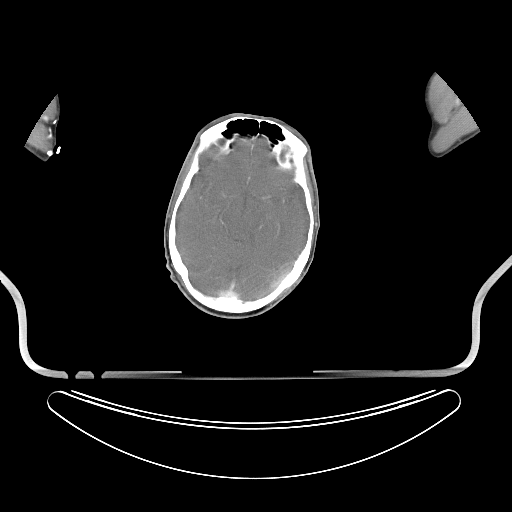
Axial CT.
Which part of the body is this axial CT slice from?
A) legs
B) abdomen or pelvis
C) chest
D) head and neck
D) head and neck
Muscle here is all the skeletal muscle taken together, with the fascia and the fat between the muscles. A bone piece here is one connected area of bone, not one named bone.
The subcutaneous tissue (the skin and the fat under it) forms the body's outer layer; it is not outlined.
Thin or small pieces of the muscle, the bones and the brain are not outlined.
{"brain":[[[238,140],[261,140],[269,148],[276,167],[292,171],[292,181],[303,192],[308,218],[305,242],[290,269],[270,291],[247,300],[231,291],[214,296],[198,289],[189,277],[176,240],[177,213],[193,177],[200,169],[201,154],[214,146],[217,156],[228,155]]],"left_arm":[[[434,71],[436,72],[437,75],[445,82],[455,95],[457,96],[480,130],[480,132],[477,135],[466,141],[446,155],[439,158],[431,156],[428,153],[426,148],[426,139],[430,128],[430,118],[424,107],[424,103],[423,102],[423,92],[426,81],[431,73]]],"bones":[{"outer":[[235,114],[250,114],[273,120],[283,125],[307,145],[309,149],[309,166],[306,176],[314,218],[310,253],[297,281],[271,302],[245,312],[216,310],[195,299],[185,288],[181,276],[174,269],[168,247],[168,227],[172,209],[189,170],[200,134],[210,126]],"holes":[[[238,140],[261,140],[269,148],[276,167],[292,171],[292,181],[303,192],[308,218],[305,242],[290,269],[270,291],[247,300],[231,291],[214,296],[198,289],[189,277],[176,240],[177,213],[193,177],[200,169],[201,154],[214,146],[217,156],[228,155]],[[237,120],[254,120],[257,123],[257,127],[259,129],[261,127],[262,122],[273,125],[279,128],[281,138],[273,139],[269,135],[260,130],[258,130],[253,134],[251,133],[241,133],[238,131],[233,131],[231,133],[226,133],[228,131],[229,124],[231,122]]]}],"right_arm":[[[57,94],[58,94],[60,100],[60,115],[57,122],[57,128],[56,129],[56,142],[57,143],[55,147],[53,148],[53,151],[51,152],[49,159],[44,162],[26,150],[24,148],[24,145],[28,140],[34,126],[36,125],[36,123],[40,119],[50,102]]],"head":[{"outer":[[234,112],[279,118],[297,129],[307,139],[311,147],[313,170],[319,193],[320,219],[313,260],[301,283],[273,308],[257,316],[241,319],[216,317],[192,305],[170,280],[163,246],[164,219],[170,195],[182,162],[196,132],[207,122],[221,115]],"hole":[[237,120],[254,120],[257,123],[257,127],[259,129],[261,127],[262,122],[273,125],[279,128],[281,138],[273,139],[269,135],[260,130],[258,130],[253,134],[251,133],[241,133],[238,131],[233,131],[231,133],[226,133],[228,131],[229,124],[231,122]]}],"muscle":[[[436,74],[445,82],[455,95],[457,96],[478,127],[470,133],[463,136],[449,148],[441,152],[436,152],[431,147],[431,140],[438,127],[438,123],[434,118],[434,114],[431,109],[428,100],[428,91],[430,83],[432,79],[436,76]],[[53,98],[57,109],[57,120],[55,124],[54,132],[52,136],[53,139],[52,146],[53,148],[51,151],[51,153],[49,155],[47,155],[45,153],[31,146],[27,141],[32,130],[34,128],[34,126],[36,125],[36,123],[40,119],[42,114]],[[194,149],[192,153],[191,161],[188,170],[184,178],[182,180],[178,194],[172,206],[171,212],[170,213],[170,217],[169,215],[170,214],[170,210],[171,205],[173,201],[173,197],[177,185],[179,182],[179,180],[181,177],[185,165],[191,153]]]}